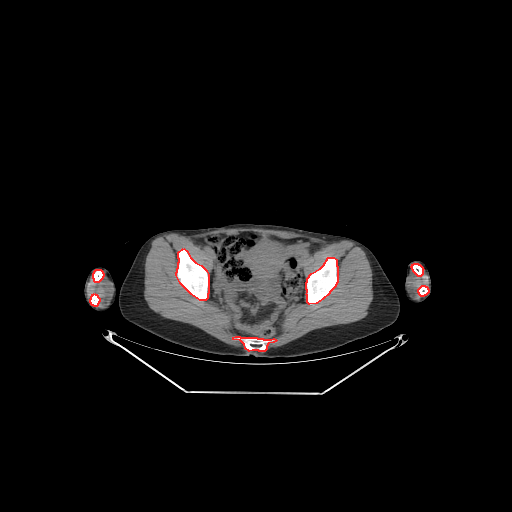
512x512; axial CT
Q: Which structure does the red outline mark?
A: red: bones.
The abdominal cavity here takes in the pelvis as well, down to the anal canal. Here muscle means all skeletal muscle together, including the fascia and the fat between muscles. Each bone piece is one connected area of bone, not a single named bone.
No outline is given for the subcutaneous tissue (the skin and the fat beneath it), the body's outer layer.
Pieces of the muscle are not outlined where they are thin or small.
{"bones":[[[183,248],[186,250],[190,257],[195,262],[201,265],[206,270],[208,274],[208,293],[207,294],[207,298],[205,300],[200,300],[191,294],[180,283],[176,275],[176,272],[177,271],[177,268],[178,267],[178,262],[179,261],[179,259],[178,258],[178,252]],[[328,257],[333,257],[336,259],[336,265],[337,266],[337,282],[334,287],[329,292],[329,293],[322,299],[316,303],[309,304],[307,302],[307,295],[306,294],[307,292],[307,290],[306,289],[306,282],[307,281],[307,278],[311,273],[320,268],[323,265]],[[235,336],[239,336],[240,337],[256,337],[257,338],[262,338],[263,339],[271,339],[273,338],[276,340],[273,342],[268,343],[266,346],[266,349],[264,351],[259,351],[258,350],[252,350],[249,351],[245,348],[244,344],[240,340],[233,339],[233,337]],[[414,263],[417,263],[418,264],[419,264],[422,267],[422,268],[423,269],[422,270],[422,274],[420,276],[418,276],[413,271],[413,270],[412,269],[412,268],[411,267],[411,266],[412,265],[412,264],[413,264]],[[96,269],[100,269],[102,271],[102,272],[103,273],[103,276],[102,277],[102,278],[98,282],[95,282],[94,281],[94,279],[93,278],[93,273],[94,272],[94,271]],[[94,293],[95,294],[96,294],[97,295],[97,296],[99,298],[99,301],[98,302],[98,303],[97,304],[97,305],[96,306],[94,306],[93,305],[92,305],[91,304],[91,303],[90,302],[90,299],[91,298],[91,296],[92,295],[92,294],[93,294]],[[422,285],[424,285],[425,286],[426,286],[427,287],[427,288],[428,289],[428,292],[425,295],[424,295],[423,296],[421,296],[419,294],[419,293],[418,292],[418,289]]],"muscle":[[[239,227],[295,232],[328,242],[347,240],[360,247],[372,270],[373,299],[367,315],[351,323],[315,329],[286,344],[267,349],[268,344],[275,342],[277,340],[274,338],[281,334],[285,316],[301,305],[306,300],[306,295],[306,302],[313,305],[330,293],[338,282],[338,266],[337,259],[328,256],[320,267],[306,277],[304,264],[322,247],[321,243],[303,237],[285,238],[250,230],[236,234],[220,233],[195,237],[193,243],[213,260],[210,273],[184,247],[177,252],[175,272],[179,283],[200,301],[208,298],[209,287],[210,298],[231,318],[237,335],[232,339],[240,341],[245,349],[225,343],[195,326],[164,318],[154,312],[143,295],[144,264],[152,241],[169,233],[189,236]],[[103,271],[111,284],[112,296],[109,302],[105,306],[103,307],[98,307],[97,306],[100,301],[100,298],[98,295],[94,292],[91,294],[89,300],[87,296],[87,285],[89,282],[90,277],[92,275],[93,281],[95,283],[98,283],[104,276]],[[411,268],[412,271],[418,277],[420,277],[423,274],[423,270],[424,269],[428,278],[428,283],[429,284],[428,288],[426,285],[422,284],[417,289],[417,292],[420,296],[419,298],[414,298],[409,291],[408,283],[409,282],[409,275],[410,274],[410,270]]],"torso":[[[239,222],[286,225],[346,236],[359,241],[374,254],[396,290],[400,302],[400,312],[397,319],[377,333],[334,349],[286,358],[264,358],[251,355],[240,357],[202,352],[166,341],[129,322],[119,310],[119,290],[138,250],[148,238],[166,230],[204,228]]],"abdominal_cavity":[[[249,231],[285,239],[303,238],[322,245],[303,264],[303,273],[306,278],[305,300],[293,307],[284,316],[280,334],[275,337],[263,338],[237,334],[230,314],[210,296],[209,275],[212,271],[214,260],[207,252],[194,243],[195,238],[220,234],[236,235]]],"right_arm":[[[97,266],[103,266],[110,272],[113,278],[113,280],[115,284],[115,289],[116,290],[116,295],[115,296],[114,302],[108,309],[104,311],[96,311],[92,309],[86,303],[86,301],[84,298],[84,295],[83,294],[84,283],[85,282],[86,277],[90,270]]],"left_arm":[[[413,260],[421,260],[425,263],[429,271],[429,274],[431,279],[431,283],[432,284],[431,292],[429,296],[425,300],[419,303],[415,303],[410,301],[406,297],[406,295],[404,291],[404,283],[405,282],[405,277],[406,276],[406,268],[409,262]]]}